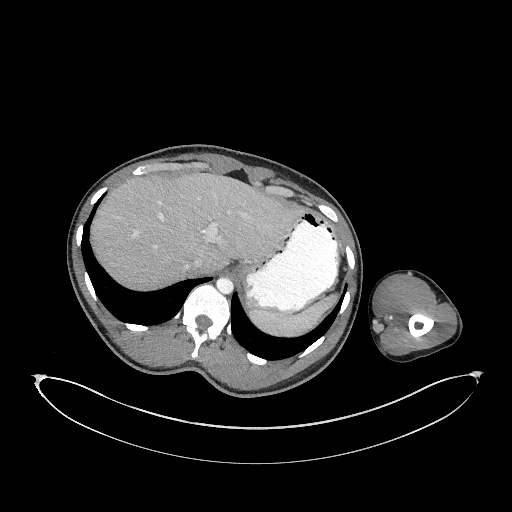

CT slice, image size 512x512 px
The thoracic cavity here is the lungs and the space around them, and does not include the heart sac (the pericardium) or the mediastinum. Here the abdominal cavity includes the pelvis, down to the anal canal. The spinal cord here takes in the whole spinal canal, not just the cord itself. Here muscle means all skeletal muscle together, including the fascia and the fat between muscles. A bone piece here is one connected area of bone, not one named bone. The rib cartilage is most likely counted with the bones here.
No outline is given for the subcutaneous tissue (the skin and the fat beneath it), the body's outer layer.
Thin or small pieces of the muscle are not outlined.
The left arm is outlined by (396, 362) (407, 362) (420, 357) (426, 357) (449, 347) (457, 341) (461, 334) (463, 327) (461, 316) (457, 308) (446, 293) (430, 277) (420, 271) (413, 269) (397, 269) (386, 273) (374, 284) (368, 297) (367, 311) (370, 333) (372, 339) (377, 349) (382, 355) (386, 358). The mediastinum is outlined by (230, 301) (231, 296) (234, 290) (234, 283) (233, 282) (233, 278) (232, 278) (231, 276) (229, 275) (229, 274) (217, 274) (215, 276) (212, 276) (212, 278) (211, 280) (209, 282) (208, 282) (215, 285) (216, 287) (217, 287) (218, 289). The abdominal cavity is outlined by (288, 338) (314, 329) (333, 309) (346, 284) (341, 236) (335, 224) (313, 204) (300, 197) (267, 192) (254, 185) (241, 169) (132, 175) (105, 192) (90, 224) (89, 242) (98, 263) (117, 283) (134, 291) (154, 291) (188, 278) (229, 273) (250, 322) (266, 334). The thoracic cavity appears in 2 outlined pieces: piece 1: (146, 325) (156, 324) (170, 319) (181, 307) (190, 290) (200, 283) (209, 281) (211, 278) (204, 277) (188, 279) (154, 292) (134, 292) (117, 284) (97, 263) (88, 242) (89, 224) (103, 195) (93, 206) (84, 224) (81, 244) (84, 263) (98, 297) (109, 311) (122, 321); piece 2: (267, 359) (280, 359) (300, 352) (323, 334) (332, 323) (337, 314) (343, 294) (346, 289) (346, 285) (334, 309) (314, 330) (301, 337) (290, 339) (272, 337) (256, 329) (245, 316) (239, 304) (237, 295) (235, 292) (231, 299) (231, 321) (233, 335) (237, 341) (248, 351). The torso is outlined by (245, 398) (279, 393) (306, 382) (329, 365) (347, 339) (359, 306) (363, 281) (361, 247) (348, 215) (333, 195) (309, 176) (275, 160) (224, 146) (173, 145) (117, 165) (87, 189) (68, 228) (67, 270) (82, 310) (106, 345) (131, 367) (154, 375) (195, 371) (218, 390). The spinal cord is outlined by (200, 331) (203, 331) (204, 330) (205, 330) (206, 329) (206, 328) (208, 326) (209, 326) (211, 324) (211, 323) (212, 322) (211, 321) (211, 320) (208, 317) (207, 317) (205, 315) (199, 315) (196, 317) (196, 322) (197, 323) (197, 325) (198, 326) (197, 327) (197, 329). The bones appear in 13 outlined pieces: piece 1: (193, 359) (197, 358) (198, 349) (204, 341) (208, 339) (216, 339) (223, 329) (225, 329) (228, 334) (232, 334) (230, 302) (215, 286) (209, 283) (203, 283) (194, 287) (188, 294) (182, 307) (173, 317) (175, 319) (181, 319) (182, 324) (185, 326) (195, 343) (191, 353), around a hole outlined by (200, 331) (203, 331) (204, 330) (205, 330) (206, 329) (206, 328) (208, 326) (209, 326) (211, 324) (211, 323) (212, 322) (211, 321) (211, 320) (208, 317) (207, 317) (205, 315) (199, 315) (196, 317) (196, 322) (197, 323) (197, 325) (198, 326) (197, 327) (197, 329); piece 2: (135, 175) (146, 173) (150, 171) (161, 170) (162, 169) (164, 169) (165, 170) (179, 170) (180, 169) (188, 169) (189, 168) (201, 168) (202, 169) (203, 168) (207, 168) (209, 165) (204, 162) (163, 162) (162, 163) (144, 164) (136, 167) (132, 171) (132, 174) (134, 174); piece 3: (414, 337) (418, 337) (426, 333) (431, 329) (431, 328) (433, 326) (433, 323) (434, 322) (433, 319) (431, 317) (423, 313) (421, 313) (420, 312) (417, 312) (416, 313) (414, 313) (412, 314) (409, 317) (409, 319) (408, 320) (408, 328) (409, 329) (409, 331) (410, 333); piece 4: (288, 197) (290, 197) (291, 196) (294, 196) (295, 194) (292, 190) (288, 188) (285, 188) (282, 186) (269, 186) (268, 185) (267, 186) (265, 186) (265, 189) (267, 191) (269, 191) (273, 193) (277, 193) (278, 194) (280, 194) (281, 195) (284, 195); piece 5: (334, 222) (336, 222) (338, 220) (338, 219) (337, 218) (337, 216) (336, 215) (336, 214) (335, 213) (335, 212) (330, 207) (329, 207) (327, 205) (325, 205) (324, 204) (318, 204) (317, 205) (317, 207) (326, 216) (327, 216) (330, 219) (331, 219); piece 6: (299, 357) (302, 357) (304, 356) (306, 354) (307, 354) (309, 352) (310, 352) (312, 350) (316, 348) (323, 341) (325, 337) (324, 334) (322, 335) (314, 342) (313, 342) (309, 346) (308, 346) (302, 352) (301, 352) (298, 355); piece 7: (96, 301) (98, 299) (98, 298) (95, 293) (95, 291) (93, 288) (93, 286) (91, 283) (91, 281) (89, 278) (89, 276) (88, 275) (86, 270) (84, 272) (84, 277) (85, 278) (85, 283) (86, 284) (86, 285) (88, 288) (88, 290) (91, 294) (93, 299); piece 8: (261, 365) (262, 365) (263, 364) (265, 364) (267, 362) (267, 360) (266, 359) (264, 359) (263, 358) (261, 358) (258, 356) (256, 356) (255, 355) (254, 355) (249, 352) (247, 352) (246, 353) (246, 356) (247, 357) (247, 358) (252, 363) (255, 363) (256, 364) (260, 364); piece 9: (133, 331) (145, 331) (148, 329) (148, 327) (145, 325) (141, 325) (140, 324) (135, 324) (134, 323) (128, 323) (127, 322) (124, 322) (124, 324) (125, 325) (125, 326) (127, 328) (128, 328) (129, 329) (130, 329); piece 10: (351, 269) (352, 269) (354, 267) (354, 263) (355, 262) (354, 261) (354, 257) (353, 256) (353, 254) (352, 253) (352, 252) (351, 251) (350, 248) (347, 245) (346, 245) (345, 246) (345, 251) (346, 252) (346, 258) (347, 259) (347, 263) (348, 264) (348, 266); piece 11: (92, 205) (93, 205) (96, 202) (96, 201) (104, 193) (104, 192) (107, 189) (107, 187) (106, 186) (104, 186) (103, 187) (102, 187) (101, 188) (100, 188) (99, 189) (98, 189) (94, 193) (94, 194) (92, 196) (92, 197) (91, 198) (91, 200) (90, 201) (90, 203); piece 12: (339, 314) (342, 313) (344, 311) (344, 310) (347, 306) (347, 304) (349, 301) (349, 290) (348, 289) (347, 289) (346, 290) (346, 291) (344, 294) (344, 296) (343, 297) (343, 299) (342, 300) (342, 302) (341, 303) (341, 306) (340, 307) (340, 309) (338, 312) (338, 313); piece 13: (78, 246) (80, 246) (80, 244) (81, 243) (81, 237) (82, 236) (82, 231) (83, 230) (83, 225) (82, 224) (80, 224) (79, 225) (79, 226) (77, 228) (77, 232) (76, 233) (76, 242) (77, 243) (77, 245). The muscle appears in 2 outlined pieces: piece 1: (242, 390) (266, 387) (294, 375) (321, 359) (339, 339) (351, 311) (357, 275) (355, 245) (346, 222) (331, 203) (272, 169) (248, 165) (217, 153) (184, 153) (152, 158) (119, 170) (98, 188) (106, 185) (109, 189) (131, 175) (136, 166) (144, 163) (204, 161) (210, 165) (206, 169) (214, 171) (227, 172) (241, 168) (256, 185) (288, 187) (295, 192) (295, 197) (300, 196) (316, 206) (318, 203) (327, 204) (336, 212) (339, 220) (334, 223) (344, 245) (351, 248) (356, 262) (352, 270) (348, 267) (346, 277) (347, 288) (350, 290) (348, 306) (342, 314) (336, 316) (325, 333) (324, 341) (316, 349) (302, 358) (297, 356) (298, 353) (280, 360) (268, 360) (261, 366) (252, 364) (245, 356) (247, 351) (225, 330) (216, 340) (204, 342) (198, 358) (193, 360) (190, 353) (194, 343) (180, 319) (172, 318) (150, 325) (145, 332) (133, 332) (110, 313) (99, 299) (94, 301) (84, 283) (85, 267) (80, 247) (75, 242) (76, 228) (86, 220) (92, 207) (89, 201) (94, 192) (83, 205) (72, 237) (74, 271) (87, 302) (121, 350) (134, 360) (152, 367) (169, 367) (195, 360) (221, 382); piece 2: (392, 355) (403, 355) (412, 351) (433, 347) (451, 337) (456, 329) (457, 324) (456, 316) (449, 304) (435, 293) (426, 282) (420, 278) (413, 276) (410, 273) (394, 274) (386, 278) (378, 286) (373, 298) (372, 304) (374, 311) (373, 312) (374, 330) (380, 341) (382, 348), around a hole outlined by (414, 337) (418, 337) (426, 333) (431, 329) (431, 328) (433, 326) (433, 323) (434, 322) (433, 319) (431, 317) (423, 313) (421, 313) (420, 312) (417, 312) (416, 313) (414, 313) (412, 314) (409, 317) (409, 319) (408, 320) (408, 328) (409, 329) (409, 331) (410, 333).